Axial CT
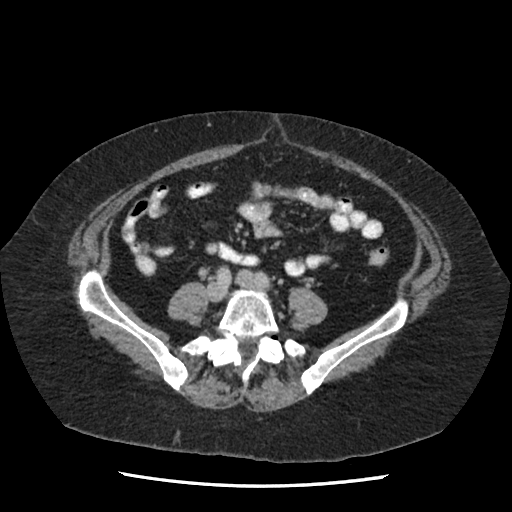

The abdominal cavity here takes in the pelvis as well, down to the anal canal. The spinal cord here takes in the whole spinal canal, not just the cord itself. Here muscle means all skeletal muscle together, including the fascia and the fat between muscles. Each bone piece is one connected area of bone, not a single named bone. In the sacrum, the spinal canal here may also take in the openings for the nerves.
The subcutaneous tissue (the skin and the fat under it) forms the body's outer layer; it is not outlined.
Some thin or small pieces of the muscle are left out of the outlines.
The spinal cord is outlined by [[244,338],[252,338],[253,339],[256,339],[256,350],[255,351],[255,352],[253,354],[253,355],[249,355],[247,357],[243,357],[243,355],[242,354],[242,353],[240,351],[240,350],[239,349],[239,343],[240,342],[240,339],[243,339]]. The bones appear in 3 outlined pieces: piece 1: [[240,288],[266,292],[280,329],[278,337],[282,341],[290,337],[306,350],[302,357],[291,357],[286,353],[276,364],[260,360],[246,387],[241,379],[243,364],[215,367],[206,353],[192,356],[179,349],[200,334],[215,336],[215,327],[230,293]] with a hole at [[244,338],[252,338],[253,339],[256,339],[256,350],[255,351],[255,352],[253,354],[253,355],[249,355],[247,357],[243,357],[243,355],[242,354],[242,353],[240,351],[240,350],[239,349],[239,343],[240,342],[240,339],[243,339]]; piece 2: [[93,268],[102,274],[107,292],[118,307],[140,327],[162,340],[169,350],[183,362],[188,371],[188,376],[180,387],[179,392],[174,390],[163,380],[159,364],[148,349],[136,337],[116,324],[113,324],[91,312],[82,310],[78,303],[78,285],[82,275]]; piece 3: [[399,296],[403,297],[408,302],[409,305],[408,314],[404,325],[397,331],[360,347],[332,369],[325,377],[319,387],[310,395],[308,396],[306,395],[306,392],[300,381],[300,376],[302,372],[312,364],[323,351],[341,344],[364,330],[376,318],[383,314]]. The abdominal cavity is outlined by [[270,135],[357,174],[397,201],[413,227],[415,249],[411,265],[397,282],[395,299],[383,313],[320,346],[278,324],[266,291],[240,287],[229,293],[216,324],[189,339],[171,339],[166,331],[138,316],[108,283],[108,235],[113,219],[150,183],[232,156]] with a hole at [[192,281],[200,282],[205,286],[206,289],[206,297],[208,301],[208,306],[202,315],[201,320],[196,325],[196,326],[194,326],[189,322],[184,320],[175,320],[172,319],[168,315],[168,312],[167,311],[168,303],[172,295],[183,284]]. The torso is outlined by [[226,109],[311,115],[377,134],[414,152],[445,175],[474,211],[508,277],[509,289],[489,359],[465,402],[439,433],[374,455],[340,461],[277,463],[162,450],[84,434],[65,426],[39,391],[10,327],[2,289],[0,248],[54,177],[90,148],[148,122]]. The muscle appears in 4 outlined pieces: piece 1: [[273,125],[282,127],[292,140],[334,151],[373,171],[408,202],[419,207],[435,226],[448,251],[451,279],[428,311],[404,326],[410,305],[403,296],[396,297],[396,288],[412,265],[416,249],[415,230],[407,214],[385,189],[329,159],[283,142],[278,135],[270,134],[265,140],[232,155],[160,177],[130,198],[113,217],[107,235],[110,261],[105,277],[115,295],[144,322],[166,332],[171,340],[187,340],[178,347],[181,353],[192,357],[206,354],[215,368],[243,365],[240,379],[246,388],[260,361],[276,365],[286,354],[291,358],[302,358],[306,354],[301,342],[290,336],[282,340],[279,337],[280,327],[304,342],[321,347],[373,320],[355,335],[323,350],[301,372],[299,381],[307,396],[304,399],[270,412],[252,411],[241,403],[224,409],[196,406],[178,393],[189,376],[184,362],[162,339],[119,307],[108,292],[103,274],[96,268],[88,269],[80,277],[76,289],[79,307],[136,338],[158,364],[163,381],[142,378],[110,344],[90,334],[71,293],[67,246],[75,229],[94,207],[120,188],[189,154],[257,138]]; piece 2: [[192,281],[200,282],[205,286],[206,289],[206,297],[208,301],[208,306],[202,315],[201,320],[196,325],[196,326],[194,326],[189,322],[184,320],[175,320],[172,319],[168,315],[168,312],[167,311],[168,303],[172,295],[183,284]]; piece 3: [[400,329],[401,330],[396,334],[396,337],[387,347],[385,353],[382,356],[377,357],[375,359],[374,363],[365,370],[351,372],[349,374],[349,376],[347,377],[336,381],[330,381],[327,383],[323,383],[326,377],[332,370],[360,348],[374,341],[395,333]]; piece 4: [[292,287],[302,287],[303,288],[307,288],[317,294],[317,295],[325,302],[327,306],[327,315],[321,322],[312,325],[310,323],[307,323],[306,322],[296,322],[292,318],[292,314],[288,311],[288,301],[287,300],[289,294],[289,290],[290,288]].